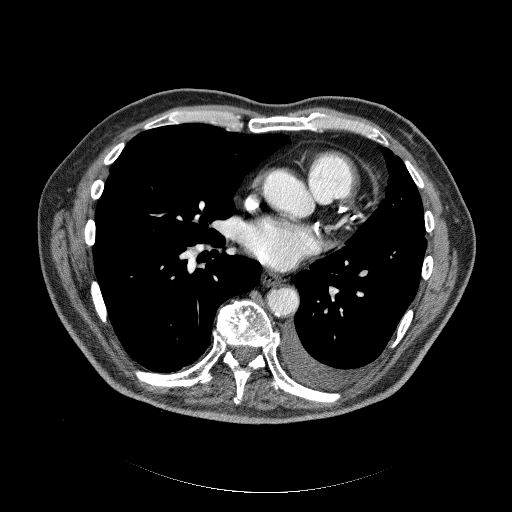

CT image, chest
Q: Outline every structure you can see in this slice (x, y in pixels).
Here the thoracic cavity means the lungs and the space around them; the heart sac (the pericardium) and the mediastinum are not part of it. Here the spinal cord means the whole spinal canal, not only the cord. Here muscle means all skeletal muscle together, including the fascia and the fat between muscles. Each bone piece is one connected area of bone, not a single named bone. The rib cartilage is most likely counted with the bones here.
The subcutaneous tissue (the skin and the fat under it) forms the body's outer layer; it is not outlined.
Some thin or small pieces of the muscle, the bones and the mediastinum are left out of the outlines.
A: {"torso":[[[175,88],[220,90],[265,103],[319,95],[361,98],[407,118],[437,150],[470,213],[475,260],[453,313],[415,371],[393,394],[323,419],[284,424],[209,420],[119,393],[72,340],[51,303],[40,268],[37,209],[42,189],[60,162],[105,117],[140,98]]],"muscle":[[[204,104],[238,106],[268,115],[244,118],[226,109],[182,108],[148,121],[142,131],[126,143],[123,140],[116,143],[104,156],[102,163],[109,166],[108,173],[104,180],[98,177],[90,186],[90,197],[96,201],[96,205],[94,217],[89,217],[84,224],[83,236],[87,247],[92,248],[96,279],[91,280],[89,293],[95,312],[104,324],[107,325],[109,321],[122,347],[144,369],[133,370],[136,378],[150,386],[164,388],[206,384],[214,377],[212,370],[220,362],[232,372],[234,378],[235,394],[232,401],[235,406],[232,408],[224,405],[187,404],[176,396],[151,394],[130,383],[117,370],[72,306],[50,251],[55,213],[61,208],[70,208],[88,166],[119,133],[168,109]],[[315,106],[357,115],[376,123],[413,156],[438,191],[450,246],[455,248],[457,253],[456,281],[439,314],[397,363],[365,392],[333,408],[314,410],[279,406],[257,410],[240,407],[238,406],[243,399],[245,384],[252,372],[265,369],[271,377],[268,383],[275,391],[280,389],[319,403],[333,403],[340,399],[342,394],[338,391],[359,380],[394,335],[388,345],[390,349],[403,338],[414,317],[414,310],[409,306],[418,291],[421,279],[426,281],[434,267],[433,256],[426,254],[425,235],[432,233],[435,219],[430,209],[424,210],[419,189],[422,189],[425,183],[417,169],[407,158],[403,160],[394,153],[388,147],[390,143],[385,135],[369,123],[318,110],[301,115],[283,114]]],"pericardium":[[[306,141],[333,144],[359,157],[377,175],[379,195],[374,205],[365,213],[364,219],[352,230],[346,232],[341,243],[291,271],[272,271],[247,255],[234,239],[234,222],[236,216],[240,213],[236,205],[236,197],[240,194],[250,176],[262,164],[300,142]]],"mediastinum":[[[326,130],[352,132],[382,145],[381,153],[388,171],[384,196],[365,219],[366,213],[380,195],[378,175],[367,162],[351,151],[321,141],[300,141],[270,157],[249,176],[235,197],[235,205],[233,198],[245,175],[290,141],[283,134],[260,133],[321,133]],[[361,222],[341,247],[316,259],[309,268],[298,271],[292,277],[299,294],[299,305],[293,316],[293,323],[282,324],[279,331],[274,328],[271,318],[257,302],[248,298],[234,298],[225,303],[257,285],[261,265],[272,272],[291,272],[341,244],[347,232]],[[232,232],[233,232],[233,239],[235,240],[236,242],[237,242],[243,252],[247,256],[251,258],[253,258],[254,259],[252,259],[249,257],[247,257],[239,253],[236,253],[234,252],[232,248],[227,245],[227,239],[228,238],[228,236],[230,234],[231,234]]],"spinal_cord":[[[238,346],[249,346],[250,347],[251,347],[252,348],[255,349],[255,351],[256,352],[256,354],[255,355],[255,356],[250,361],[249,361],[247,363],[246,363],[245,364],[241,364],[235,358],[235,357],[234,356],[234,350],[235,349],[235,348]]],"bones":[{"outer":[[234,299],[251,300],[266,312],[279,332],[278,360],[295,381],[315,390],[339,392],[340,398],[319,402],[275,390],[265,368],[251,372],[236,405],[233,372],[220,361],[206,383],[164,387],[140,381],[135,369],[169,374],[201,359],[212,346],[218,309]],"hole":[[238,346],[249,346],[250,347],[251,347],[252,348],[255,349],[255,351],[256,352],[256,354],[255,355],[255,356],[250,361],[249,361],[247,363],[246,363],[245,364],[241,364],[235,358],[235,357],[234,356],[234,350],[235,349],[235,348]]},[[182,109],[226,110],[239,114],[244,119],[273,115],[301,116],[318,111],[369,124],[384,135],[389,145],[385,146],[344,129],[326,129],[321,132],[272,130],[253,133],[246,128],[233,131],[205,122],[182,122],[144,130],[143,127],[148,122],[171,111]],[[92,280],[96,280],[98,283],[98,285],[101,292],[101,295],[102,296],[102,298],[105,304],[105,307],[107,311],[107,318],[108,319],[108,323],[107,324],[104,323],[100,319],[96,312],[96,310],[91,297],[91,294],[90,293],[90,284]],[[408,308],[411,308],[413,310],[413,317],[411,320],[411,322],[407,330],[405,332],[404,335],[399,341],[399,342],[393,348],[390,348],[389,347],[389,345],[395,338],[395,333],[396,332],[396,330],[397,329],[398,324],[400,322],[403,315],[408,309]],[[89,218],[93,218],[94,219],[94,223],[95,224],[95,240],[94,241],[94,243],[93,244],[93,245],[91,247],[88,247],[88,246],[86,244],[86,243],[85,242],[85,237],[84,236],[84,228],[85,227],[85,224],[86,223],[87,220]],[[121,141],[123,141],[125,143],[125,145],[124,146],[124,147],[122,149],[122,150],[120,152],[120,153],[118,155],[118,156],[115,159],[115,160],[110,165],[105,165],[103,163],[103,160],[104,159],[105,156],[108,153],[108,152],[116,144],[119,143]],[[405,159],[407,159],[412,164],[412,165],[416,169],[416,170],[420,175],[420,176],[424,183],[424,186],[422,188],[418,188],[417,187],[416,184],[414,182],[414,181],[413,180],[411,175],[409,173],[409,172],[408,171],[408,170],[403,161]],[[429,254],[430,254],[432,256],[432,257],[433,258],[433,267],[432,268],[432,271],[431,272],[429,277],[426,280],[425,280],[424,279],[423,279],[421,277],[421,271],[422,270],[422,265],[423,264],[423,261],[424,260],[424,258],[426,255],[428,255]],[[98,178],[100,178],[101,179],[102,179],[104,181],[104,184],[103,185],[103,189],[102,190],[102,192],[101,193],[101,194],[100,195],[99,198],[97,200],[93,200],[91,197],[91,186],[92,185],[93,182],[96,179],[97,179]]],"thoracic_cavity":[[[182,123],[205,123],[233,132],[278,134],[289,141],[246,173],[232,198],[237,214],[226,245],[260,264],[256,285],[219,306],[211,346],[201,358],[185,369],[163,373],[146,370],[134,360],[108,318],[94,268],[94,218],[110,166],[126,144],[143,131]],[[383,146],[402,160],[421,198],[426,240],[421,278],[394,334],[365,373],[337,391],[315,389],[295,380],[282,366],[277,353],[280,328],[294,323],[300,305],[299,290],[292,279],[298,272],[309,269],[316,260],[341,248],[384,198],[389,171],[382,153]]]}